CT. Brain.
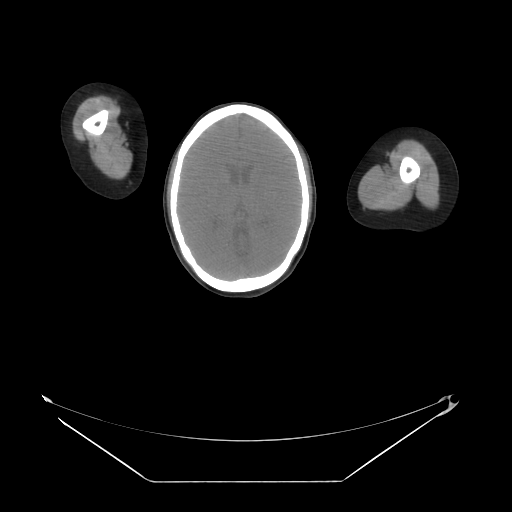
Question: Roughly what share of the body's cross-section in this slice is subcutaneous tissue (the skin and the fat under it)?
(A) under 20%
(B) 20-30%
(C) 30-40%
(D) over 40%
Answer: (B) 20-30%
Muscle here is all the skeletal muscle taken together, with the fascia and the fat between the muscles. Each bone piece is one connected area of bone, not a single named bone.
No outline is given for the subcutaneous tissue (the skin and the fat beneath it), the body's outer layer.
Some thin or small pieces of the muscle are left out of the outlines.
The brain is outlined by 240,114 247,115 266,126 283,142 293,156 300,190 299,222 288,249 281,261 275,267 265,273 258,275 226,279 213,275 198,263 185,239 182,230 178,214 178,195 184,160 196,140 215,123 227,117. The bones appear in 3 outlined pieces: piece 1: 234,103 249,104 267,110 290,132 296,142 302,159 309,195 306,232 302,244 288,268 271,284 244,292 228,292 216,289 197,276 180,251 172,229 170,211 171,184 177,161 177,151 183,139 202,116 214,109, around a hole outlined by 240,114 247,115 266,126 283,142 293,156 300,190 299,222 288,249 281,261 275,267 265,273 258,275 226,279 213,275 198,263 185,239 182,230 178,214 178,195 184,160 196,140 215,123 227,117; piece 2: 101,109 107,109 109,111 108,113 108,118 107,119 107,124 105,127 105,129 104,131 100,135 98,136 91,135 87,133 87,132 83,128 82,126 82,123 83,121 86,118 92,115 94,113 99,111; piece 3: 404,156 410,156 412,157 418,163 420,167 420,172 419,173 419,176 414,181 408,184 406,184 404,183 401,180 400,178 400,176 399,175 399,167 400,166 400,163 401,162 401,160 402,158. The left arm is outlined by 400,125 417,125 424,127 435,133 450,150 458,169 459,195 455,209 451,217 445,224 431,231 380,231 369,229 357,223 349,214 346,206 346,190 348,182 358,162 371,144 381,134 391,128. The muscle appears in 4 outlined pieces: piece 1: 404,138 413,138 423,143 432,155 437,165 440,179 439,190 440,204 438,208 435,210 430,210 411,207 392,213 368,213 360,210 358,207 359,201 357,198 357,187 361,177 380,154 383,153 393,143 with a hole at 404,156 410,156 412,157 418,163 420,167 420,172 419,173 419,176 414,181 408,184 406,184 404,183 401,180 400,178 400,176 399,175 399,167 400,166 400,163 401,162 401,160 402,158; piece 2: 96,94 106,94 112,97 116,97 122,109 128,115 128,132 129,133 129,137 133,153 133,169 131,175 122,180 113,180 107,178 103,175 93,165 84,147 76,142 72,135 71,122 77,106 85,98, around a hole outlined by 101,109 107,109 109,111 108,113 108,118 107,119 107,124 105,127 105,129 104,131 100,135 98,136 91,135 87,133 87,132 83,128 82,126 82,123 83,121 86,118 92,115 94,113 99,111; piece 3: 297,143 299,144 302,148 305,154 308,163 309,174 310,175 310,181 312,186 312,209 311,210 310,222 308,226 309,209 310,208 310,195 308,189 308,181 306,176 306,171 304,167 303,159 300,153; piece 4: 176,154 176,161 172,173 172,178 171,179 170,189 169,190 169,211 170,212 170,213 170,223 171,224 171,227 169,221 169,218 168,217 168,213 167,212 166,193 167,192 167,183 168,182 168,178 169,177 171,165. The head is outlined by 229,101 254,102 266,107 281,118 301,141 309,154 317,192 315,222 305,253 294,271 277,287 260,296 251,298 222,297 200,286 176,257 165,227 162,210 164,177 169,160 178,142 192,122 202,112 216,104. The right arm is outlined by 93,81 109,82 126,89 136,98 144,115 148,135 147,161 145,173 139,187 133,193 123,199 117,200 109,199 88,189 82,183 70,167 68,157 61,140 59,120 61,109 66,99 75,89 85,83.